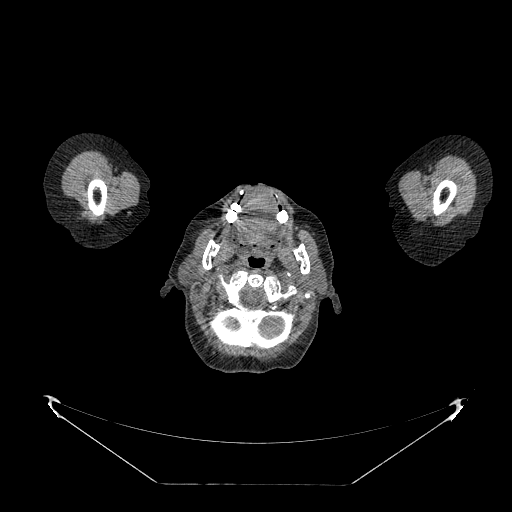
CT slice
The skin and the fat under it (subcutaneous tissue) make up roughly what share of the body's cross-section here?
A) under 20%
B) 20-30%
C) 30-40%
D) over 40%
C) 30-40%
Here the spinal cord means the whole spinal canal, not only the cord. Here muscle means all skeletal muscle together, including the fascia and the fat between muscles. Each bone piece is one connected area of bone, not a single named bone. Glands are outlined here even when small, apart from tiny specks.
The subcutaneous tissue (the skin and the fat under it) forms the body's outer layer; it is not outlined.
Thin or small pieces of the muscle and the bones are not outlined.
The left arm is outlined by 446,134 463,134 469,136 483,147 492,167 493,191 491,199 484,209 477,234 468,239 459,251 440,264 427,266 410,258 397,243 391,228 395,211 388,205 389,196 385,190 385,183 394,169 414,151 428,141. The parotid glands appear in 2 outlined pieces: piece 1: 187,258 191,258 195,261 196,263 196,268 195,269 195,273 193,277 191,278 190,281 185,286 178,281 178,278 177,277 177,271 178,270 178,267 180,265 180,264 181,264 182,262 183,262 184,260 185,260; piece 2: 318,266 321,266 321,267 323,268 325,271 326,279 327,280 327,291 326,291 325,293 322,293 321,294 319,293 319,292 317,291 315,288 314,288 314,286 312,283 312,279 316,271 316,268 317,268. The head is outlined by 259,181 279,188 322,222 334,260 332,283 340,299 341,312 334,312 327,297 320,302 317,331 296,365 264,373 225,373 207,366 192,348 184,327 183,292 172,287 162,298 159,291 192,218 238,184; inner edge: 250,257 252,257 253,258 255,258 256,259 257,259 258,258 262,258 263,259 263,264 261,266 260,266 259,267 256,267 255,266 253,266 252,265 251,265 250,264 250,263 249,262 249,258. The brain appears in 2 outlined pieces: piece 1: 267,317 278,317 280,319 281,319 281,320 282,321 282,328 281,329 281,330 278,333 277,333 274,335 267,335 266,334 264,334 262,332 259,325 260,324 260,323 262,321 262,320 264,318 266,318; piece 2: 228,318 230,318 231,319 232,319 233,320 235,320 236,321 237,321 237,326 235,328 234,328 233,327 232,327 231,326 230,326 229,325 228,325 228,324 226,322 226,320. The muscle appears in 3 outlined pieces: piece 1: 259,184 268,187 271,193 275,191 284,197 294,209 295,215 313,228 325,270 321,265 318,265 315,268 311,283 320,294 316,299 311,323 303,343 293,355 283,360 267,363 220,359 212,355 200,341 192,317 189,291 186,286 196,273 197,263 191,257 184,258 192,250 196,232 203,221 215,216 224,202 235,192 238,191 242,197 245,194 245,187; inner edges: 250,257 262,258 258,272 275,275 284,291 289,284 297,290 279,304 280,308 295,312 292,331 287,340 268,349 225,345 208,323 218,308 229,305 218,275 222,274 227,281 238,270 252,272 256,267 250,264, then 210,239 213,239 216,243 219,243 220,244 220,246 216,254 214,255 211,258 211,264 212,265 212,267 210,269 204,269 202,266 201,261 202,260 202,256 203,255 204,250 208,243 208,241, then 300,243 303,243 304,244 305,246 305,249 308,255 308,257 309,258 309,261 310,262 310,271 309,273 307,274 303,274 301,272 300,270 300,264 301,263 300,261 296,258 293,252 293,249 295,248, then 236,201 237,201 240,204 240,206 241,207 241,210 239,211 236,214 236,217 234,221 232,223 230,223 228,222 228,220 227,219 227,214 230,209 230,207 231,205 234,202, then 280,209 284,209 286,211 286,212 287,213 287,219 286,220 286,221 285,222 284,222 283,223 280,223 279,222 279,221 277,219 277,218 276,217 276,214 277,213 277,212, then 307,291 310,291 311,292 312,292 313,293 313,294 312,294 311,295 311,296 309,298 304,298 303,297 303,295 304,294 304,293 305,292 306,292; piece 2: 446,153 453,153 463,157 469,162 474,169 477,175 477,194 474,202 474,205 471,212 462,220 443,227 437,227 436,228 424,227 415,223 407,215 399,196 397,183 401,176 406,172 412,170 420,165 427,163 with a hole at 447,178 450,180 452,180 456,184 457,186 457,190 452,201 447,207 445,211 441,214 436,216 434,215 433,213 433,210 432,209 432,207 433,206 432,204 432,200 433,199 433,193 437,185 442,180 446,179; piece 3: 85,149 102,150 116,160 124,168 136,175 141,188 141,199 139,205 136,209 122,214 118,217 102,224 91,224 82,222 75,216 65,202 64,198 60,192 60,180 64,166 67,164 71,157 76,153, around a hole outlined by 94,177 98,177 102,179 105,182 105,184 107,187 107,197 106,198 106,202 105,203 105,211 102,217 94,217 94,216 92,214 88,207 88,200 87,199 87,187 88,186 88,183 90,181 90,180. The right arm is outlined by 82,132 100,133 118,141 142,167 150,180 150,187 147,192 150,206 148,215 134,228 129,235 109,248 103,250 86,248 75,242 71,238 69,232 52,219 46,207 42,187 46,166 55,149 66,138. The spinal cord is outlined by 244,286 249,286 253,288 255,287 260,287 262,288 265,294 265,296 266,297 266,301 258,307 256,307 255,308 250,308 249,307 247,307 245,306 241,302 240,300 240,297 239,296 239,291. The bones appear in 7 outlined pieces: piece 1: 256,268 263,275 275,275 284,291 289,284 295,286 297,292 286,300 282,299 279,304 280,308 295,312 292,331 287,340 268,349 225,345 208,323 218,308 229,305 218,275 222,274 227,281 238,270 250,273 with holes at 244,286 249,286 253,288 255,287 260,287 262,288 265,294 265,296 266,297 266,301 258,307 256,307 255,308 250,308 249,307 247,307 245,306 241,302 240,300 240,297 239,296 239,291 and at 267,317 278,317 280,319 281,319 281,320 282,321 282,328 281,329 281,330 278,333 277,333 274,335 267,335 266,334 264,334 262,332 259,325 260,324 260,323 262,321 262,320 264,318 266,318 and at 228,318 230,318 231,319 232,319 233,320 235,320 236,321 237,321 237,326 235,328 234,328 233,327 232,327 231,326 230,326 229,325 228,325 228,324 226,322 226,320; piece 2: 94,177 98,177 102,179 105,182 105,184 107,187 107,197 106,198 106,202 105,203 105,211 102,217 94,217 94,216 92,214 88,207 88,200 87,199 87,187 88,186 88,183 90,181 90,180; piece 3: 447,178 450,180 452,180 456,184 457,186 457,190 452,201 447,207 445,211 441,214 436,216 434,215 433,213 433,210 432,209 432,207 433,206 432,204 432,200 433,199 433,193 437,185 442,180 446,179; piece 4: 210,239 213,239 216,243 219,243 220,244 220,246 216,254 214,255 211,258 211,264 212,265 212,267 210,269 204,269 202,266 201,261 202,260 202,256 203,255 204,250 208,243 208,241; piece 5: 300,243 303,243 304,244 305,246 305,249 308,255 308,257 309,258 309,261 310,262 310,271 309,273 307,274 303,274 301,272 300,270 300,264 301,263 300,261 296,258 293,252 293,249 295,248; piece 6: 236,201 237,201 240,204 240,206 241,207 241,210 239,211 236,214 236,217 234,221 232,223 230,223 228,222 228,220 227,219 227,214 230,209 230,207 231,205 234,202; piece 7: 280,209 284,209 286,211 286,212 287,213 287,219 286,220 286,221 285,222 284,222 283,223 280,223 279,222 279,221 277,219 277,218 276,217 276,214 277,213 277,212.